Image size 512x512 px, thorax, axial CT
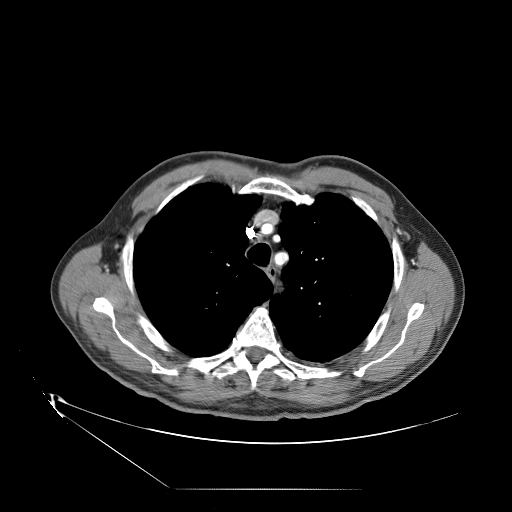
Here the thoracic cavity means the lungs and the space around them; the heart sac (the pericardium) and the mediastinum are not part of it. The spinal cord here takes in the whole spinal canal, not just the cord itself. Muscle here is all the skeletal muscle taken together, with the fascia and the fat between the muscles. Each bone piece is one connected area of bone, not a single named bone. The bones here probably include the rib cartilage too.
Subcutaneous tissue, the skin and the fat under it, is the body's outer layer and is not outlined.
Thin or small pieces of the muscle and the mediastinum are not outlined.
The mediastinum is outlined by [[262,194],[275,195],[285,200],[281,208],[281,221],[277,229],[281,243],[289,255],[289,260],[282,268],[281,278],[286,286],[279,294],[273,294],[273,286],[269,278],[263,271],[254,266],[244,254],[248,244],[245,231],[246,224],[260,204],[260,195]]. The thoracic cavity is outlined by [[206,181],[234,195],[259,195],[243,254],[273,295],[287,286],[290,255],[278,229],[286,201],[310,206],[320,193],[341,194],[381,228],[392,284],[358,345],[321,365],[288,357],[269,298],[215,354],[191,356],[161,334],[136,291],[135,242],[173,198]]. The torso is outlined by [[204,149],[275,161],[338,154],[368,165],[395,184],[448,242],[464,278],[461,316],[438,357],[401,389],[381,399],[337,415],[283,417],[276,421],[176,410],[136,393],[98,368],[53,309],[49,288],[54,269],[70,245],[99,222],[140,175],[166,158]]. The muscle appears in 2 outlined pieces: piece 1: [[422,241],[446,264],[455,289],[433,350],[331,406],[255,394],[210,405],[182,401],[132,376],[94,346],[58,296],[60,276],[76,252],[101,242],[101,261],[115,273],[121,250],[125,283],[145,313],[137,311],[136,322],[146,337],[164,352],[174,347],[189,355],[182,365],[211,378],[244,371],[252,392],[266,369],[289,382],[342,375],[342,369],[322,365],[362,342],[364,354],[379,341],[405,255],[409,264]] with holes at [[100,296],[105,297],[112,304],[115,317],[115,325],[120,334],[139,350],[154,359],[162,366],[169,369],[176,367],[178,370],[177,375],[175,376],[151,372],[151,363],[119,339],[112,327],[110,317],[105,313],[97,311],[93,308],[92,305],[94,299]] and at [[415,302],[424,304],[424,308],[421,314],[409,324],[405,333],[404,340],[401,345],[383,360],[370,365],[365,370],[364,374],[361,377],[354,375],[352,372],[354,370],[356,370],[370,361],[379,358],[399,341],[401,337],[401,332],[407,320],[408,310]]; piece 2: [[209,158],[229,159],[256,166],[263,171],[285,174],[309,165],[331,165],[350,170],[390,196],[400,228],[405,231],[401,236],[404,254],[398,236],[393,234],[388,240],[378,215],[360,196],[352,193],[347,197],[333,191],[323,191],[314,196],[301,193],[274,174],[259,174],[237,187],[212,180],[201,181],[205,176],[201,172],[178,184],[161,200],[135,240],[131,230],[125,237],[133,221],[131,202],[146,185],[173,168]]. The bones appear in 10 outlined pieces: piece 1: [[257,306],[268,310],[276,337],[282,345],[281,351],[288,358],[305,365],[342,370],[342,374],[289,381],[274,373],[271,368],[266,368],[258,376],[256,387],[252,391],[250,378],[244,370],[219,379],[184,366],[184,362],[192,357],[212,356],[225,350]]; inner edge: [[250,347],[259,347],[260,348],[261,348],[262,349],[263,349],[265,351],[265,352],[264,353],[264,354],[263,355],[263,357],[259,361],[258,361],[256,363],[253,363],[248,358],[248,357],[247,356],[247,353],[248,352],[248,349]]; piece 2: [[259,175],[277,176],[297,192],[301,194],[306,193],[313,196],[314,201],[310,205],[306,204],[296,205],[292,201],[286,200],[275,194],[262,193],[261,194],[256,193],[234,194],[231,191],[232,185],[234,185],[237,188],[240,188],[250,180]]; piece 3: [[100,296],[105,297],[112,304],[115,317],[115,325],[120,334],[139,350],[154,359],[162,366],[169,369],[176,367],[178,370],[177,375],[175,376],[151,372],[151,363],[119,339],[112,327],[110,317],[105,313],[97,311],[93,308],[92,305],[94,299]]; piece 4: [[415,302],[424,304],[424,308],[421,314],[409,324],[405,333],[404,340],[401,345],[383,360],[370,365],[365,370],[364,374],[361,377],[354,375],[352,372],[354,370],[356,370],[370,361],[379,358],[399,341],[401,337],[401,332],[407,320],[408,310]]; piece 5: [[131,231],[133,233],[133,237],[135,241],[133,248],[133,259],[132,260],[132,264],[133,265],[133,281],[134,282],[134,287],[136,293],[134,295],[130,292],[126,283],[125,277],[123,273],[123,262],[121,259],[122,247],[124,244],[126,235]]; piece 6: [[137,312],[140,312],[142,314],[145,315],[150,321],[150,322],[154,326],[154,327],[160,333],[160,334],[173,347],[173,351],[171,353],[162,350],[160,348],[156,346],[147,337],[147,336],[144,333],[142,328],[138,324],[137,322]]; piece 7: [[393,235],[396,235],[397,236],[398,240],[400,243],[403,254],[404,255],[403,275],[402,276],[401,282],[399,285],[399,287],[396,292],[392,290],[394,264],[393,263],[393,255],[392,254],[392,250],[390,246],[390,242],[392,240],[392,237]]; piece 8: [[389,305],[391,306],[391,312],[390,313],[390,316],[387,322],[386,327],[383,333],[381,335],[378,341],[370,349],[369,349],[366,352],[363,353],[362,352],[362,348],[364,346],[364,342],[363,341],[365,339],[369,332],[372,329],[379,316]]; piece 9: [[201,173],[204,173],[204,176],[203,178],[199,182],[195,183],[189,186],[187,188],[180,192],[177,195],[173,197],[155,215],[153,215],[154,211],[162,201],[162,200],[174,188],[175,188],[178,185],[184,182],[186,180],[190,179],[191,178],[193,178]]; piece 10: [[352,194],[353,194],[358,197],[360,197],[362,199],[363,199],[367,203],[368,203],[369,204],[369,205],[373,209],[373,210],[377,215],[377,217],[380,222],[381,227],[380,227],[369,216],[368,216],[357,205],[356,205],[351,199],[350,199],[350,196]]. The spinal cord is outlined by [[250,347],[259,347],[260,348],[261,348],[262,349],[263,349],[265,351],[265,352],[264,353],[264,354],[263,355],[263,357],[259,361],[258,361],[256,363],[253,363],[248,358],[248,357],[247,356],[247,353],[248,352],[248,349]].